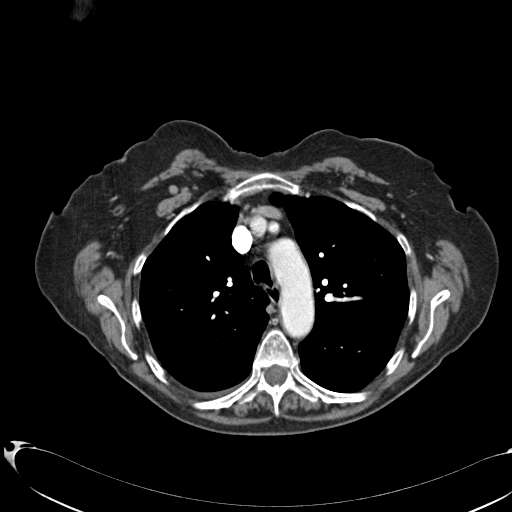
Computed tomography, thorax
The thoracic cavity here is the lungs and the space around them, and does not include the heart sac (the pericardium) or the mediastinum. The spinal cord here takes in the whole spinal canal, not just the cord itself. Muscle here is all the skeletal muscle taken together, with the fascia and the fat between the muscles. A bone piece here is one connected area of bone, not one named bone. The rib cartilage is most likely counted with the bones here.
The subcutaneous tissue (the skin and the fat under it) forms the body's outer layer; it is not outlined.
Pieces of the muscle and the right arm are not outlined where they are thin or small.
Outlines (x, y in pixels):
thoracic cavity 1: [[220,199],[238,208],[230,243],[233,249],[244,257],[244,264],[252,283],[267,294],[269,302],[265,311],[268,319],[256,347],[248,377],[226,394],[211,399],[195,400],[172,382],[166,370],[155,357],[140,309],[140,274],[148,256],[180,219],[202,203]]
thoracic cavity 2: [[274,192],[306,198],[311,194],[321,195],[335,199],[378,223],[395,237],[404,253],[409,288],[407,319],[399,334],[395,351],[384,368],[361,390],[352,392],[331,390],[318,384],[301,370],[298,346],[310,333],[315,321],[312,278],[285,209],[270,199]]
mediastinum: [[263,190],[273,191],[270,201],[284,209],[310,273],[314,321],[309,333],[298,344],[296,353],[281,329],[272,327],[264,332],[269,319],[266,308],[270,299],[261,287],[253,283],[245,257],[236,251],[231,243],[239,213],[239,208],[234,204],[242,196]]
spinal cord: [[273,365],[277,365],[278,366],[283,367],[286,369],[286,376],[285,377],[285,379],[283,381],[283,382],[282,382],[279,384],[278,383],[275,383],[274,384],[270,384],[266,380],[266,379],[265,378],[265,370],[266,369],[269,368],[271,366],[272,366]]
torso: [[175,119],[204,124],[233,148],[259,156],[337,128],[402,144],[430,160],[451,186],[455,206],[474,207],[494,236],[498,277],[481,325],[405,393],[344,425],[291,435],[231,435],[164,412],[62,320],[39,289],[34,258],[51,212],[58,213],[86,177]]
muscle 1: [[188,148],[203,151],[222,166],[250,170],[289,170],[326,157],[343,156],[389,182],[377,190],[400,230],[395,235],[354,201],[313,194],[276,172],[264,170],[229,187],[219,199],[203,202],[200,197],[183,207],[166,225],[154,249],[148,255],[141,251],[136,256],[132,273],[140,275],[139,291],[138,299],[131,300],[130,311],[136,328],[143,322],[146,330],[154,356],[145,350],[143,357],[153,374],[167,386],[168,375],[194,400],[190,405],[201,411],[228,408],[236,402],[242,405],[265,392],[271,397],[275,417],[266,422],[225,425],[180,409],[128,370],[75,289],[74,259],[87,242],[100,242],[103,259],[119,274],[162,227],[162,219],[155,213],[160,199],[139,188]]; inner edge: [[99,294],[104,294],[108,296],[114,303],[125,324],[125,332],[124,333],[125,341],[130,349],[137,355],[137,359],[132,359],[123,346],[121,342],[121,327],[120,326],[120,323],[116,316],[111,310],[101,305],[98,302],[97,300],[97,296]]
muscle 2: [[440,238],[453,242],[461,251],[469,288],[440,339],[419,357],[415,367],[377,402],[353,415],[325,421],[279,417],[280,401],[289,390],[312,403],[319,399],[325,404],[359,403],[371,394],[363,389],[376,376],[383,370],[388,376],[397,368],[406,351],[404,346],[396,349],[400,334],[407,320],[409,326],[412,324],[418,300],[416,289],[408,283],[406,257],[412,253],[408,239],[420,269],[427,273],[434,261],[435,241]], around a hole outlined by [[443,289],[448,289],[449,290],[450,292],[449,297],[446,300],[437,305],[434,309],[432,331],[426,341],[421,346],[419,354],[416,357],[412,358],[411,357],[412,352],[428,329],[428,326],[429,325],[429,314],[430,313],[430,301],[432,297],[437,292]]
right arm: [[70,0],[97,0],[98,2],[97,3],[97,16],[98,17],[97,21],[92,23],[91,19],[89,17],[86,18],[83,21],[74,26],[73,28],[74,29],[74,35],[73,36],[70,36],[68,33],[68,29],[69,28],[65,19],[65,15],[68,9]]
bones 1: [[272,328],[287,338],[299,358],[300,370],[309,379],[335,392],[368,390],[370,394],[359,402],[325,403],[320,398],[312,402],[289,389],[279,401],[278,417],[273,413],[272,397],[265,391],[242,404],[194,408],[192,401],[226,395],[249,377],[257,347]], around a hole outlined by [[273,365],[277,365],[278,366],[283,367],[286,369],[286,376],[285,377],[285,379],[283,381],[283,382],[282,382],[279,384],[278,383],[275,383],[274,384],[270,384],[266,380],[266,379],[265,378],[265,370],[266,369],[269,368],[271,366],[272,366]]
bones 2: [[264,171],[276,173],[283,178],[295,184],[298,184],[303,191],[309,192],[310,195],[306,197],[295,194],[284,194],[270,189],[263,189],[252,194],[242,195],[237,199],[237,202],[233,204],[228,201],[223,201],[221,198],[229,188],[235,186],[255,173]]
bones 3: [[443,289],[448,289],[449,290],[450,292],[449,297],[446,300],[437,305],[434,309],[432,331],[426,341],[421,346],[419,354],[416,357],[412,358],[411,357],[412,352],[428,329],[428,326],[429,325],[429,314],[430,313],[430,301],[432,297],[437,292]]
bones 4: [[99,294],[104,294],[108,296],[114,303],[125,324],[125,332],[124,333],[125,341],[130,349],[137,355],[137,359],[132,359],[123,346],[121,342],[121,327],[120,326],[120,323],[116,316],[111,310],[101,305],[98,302],[97,300],[97,296]]
bones 5: [[145,351],[147,351],[152,356],[153,356],[160,364],[160,365],[165,370],[165,371],[167,374],[167,378],[169,381],[169,384],[168,385],[167,385],[163,382],[162,382],[154,374],[154,373],[151,370],[149,365],[147,363],[147,362],[144,357],[144,352]]
bones 6: [[200,198],[202,199],[202,202],[191,212],[184,215],[181,218],[180,218],[172,226],[172,227],[169,230],[169,231],[166,234],[166,235],[165,235],[163,237],[163,232],[165,228],[167,226],[167,225],[177,215],[177,214],[183,208],[187,206],[189,206]]
bones 7: [[401,347],[404,347],[405,348],[405,351],[404,352],[398,365],[396,367],[396,368],[390,374],[389,374],[388,375],[385,375],[385,370],[384,369],[385,368],[385,366],[386,365],[387,362],[391,358],[391,357],[396,351],[396,350],[397,350]]
bones 8: [[411,288],[414,288],[415,289],[416,291],[416,294],[417,295],[417,300],[416,301],[416,310],[415,311],[415,315],[411,324],[409,325],[408,324],[408,317],[407,316],[407,314],[408,313],[408,308],[409,307],[409,297],[410,296],[410,289]]
bones 9: [[133,298],[136,298],[138,300],[138,303],[139,304],[139,309],[140,310],[140,313],[141,314],[141,317],[142,318],[142,321],[140,324],[140,327],[139,328],[137,328],[134,322],[133,317],[132,316],[132,312],[131,311],[131,304],[132,303],[132,300]]
bones 10: [[342,199],[346,199],[349,201],[354,202],[364,207],[366,209],[370,211],[376,217],[378,222],[376,222],[374,221],[370,217],[369,217],[361,211],[359,211],[356,209],[354,209],[353,208],[351,208],[349,207],[343,202],[342,202],[341,200]]
bones 11: [[398,231],[400,231],[402,232],[407,238],[407,240],[408,241],[408,243],[409,244],[409,246],[411,250],[411,253],[409,256],[406,256],[405,255],[405,253],[402,247],[398,242],[395,236],[396,235],[396,233]]
bones 12: [[141,252],[143,252],[144,253],[145,253],[147,255],[147,257],[142,266],[142,268],[141,269],[141,271],[140,272],[140,273],[139,273],[136,275],[134,275],[134,274],[133,273],[133,268],[134,267],[134,264],[135,263],[135,260],[136,259],[137,256]]